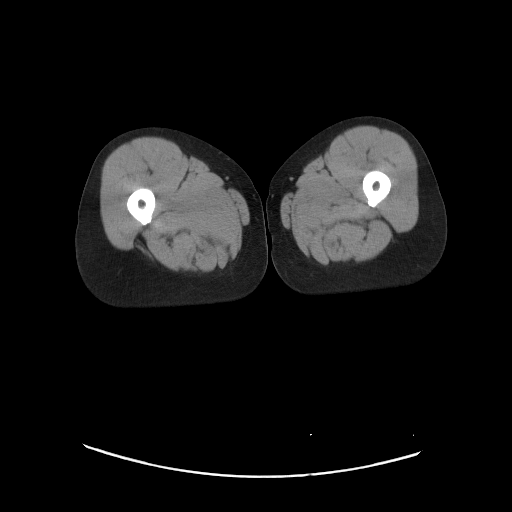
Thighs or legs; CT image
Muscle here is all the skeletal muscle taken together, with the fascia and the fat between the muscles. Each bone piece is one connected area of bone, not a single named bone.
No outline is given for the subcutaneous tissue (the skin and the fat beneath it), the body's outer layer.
Outlines:
bones 1: 138,187 146,187 147,188 149,188 153,192 155,196 155,207 154,208 154,210 152,214 151,221 149,223 145,225 142,225 136,219 135,219 130,214 126,207 126,201 127,200 128,196 135,189 136,189
bones 2: 371,170 379,170 380,171 382,171 389,177 391,181 391,187 388,194 385,197 385,198 384,198 379,203 378,203 375,207 372,207 368,205 367,203 367,199 362,189 362,180 363,179 363,177 368,171 370,171
left leg: 359,115 376,115 392,119 406,127 423,147 445,204 447,215 445,249 439,263 431,273 413,285 336,295 301,295 290,289 281,280 269,254 271,238 267,230 268,217 266,211 268,186 281,164 310,137 337,121
right leg: 144,126 165,126 197,136 229,155 252,180 262,205 264,207 265,203 268,259 267,268 261,282 244,299 232,303 204,306 121,310 100,302 85,287 76,265 74,235 78,205 90,167 97,153 109,140 122,132
muscle 1: 140,136 160,136 175,142 181,148 209,163 225,174 234,182 244,197 249,210 248,231 245,241 229,267 216,277 189,278 157,269 141,254 118,250 107,239 101,221 99,205 101,170 105,159 115,148 124,142, around a hole outlined by 138,187 146,187 147,188 149,188 153,192 155,196 155,207 154,208 154,210 152,214 151,221 149,223 145,225 142,225 136,219 135,219 130,214 126,207 126,201 127,200 128,196 135,189 136,189
muscle 2: 358,125 373,125 394,131 401,135 408,142 417,161 419,202 418,219 415,226 397,243 368,263 346,271 327,271 308,260 291,242 281,222 280,202 288,180 292,173 299,166 321,147 330,142 338,134 348,128; inner edge: 371,170 379,170 380,171 382,171 389,177 391,181 391,187 388,194 385,197 385,198 384,198 379,203 378,203 375,207 372,207 368,205 367,203 367,199 362,189 362,180 363,179 363,177 368,171 370,171